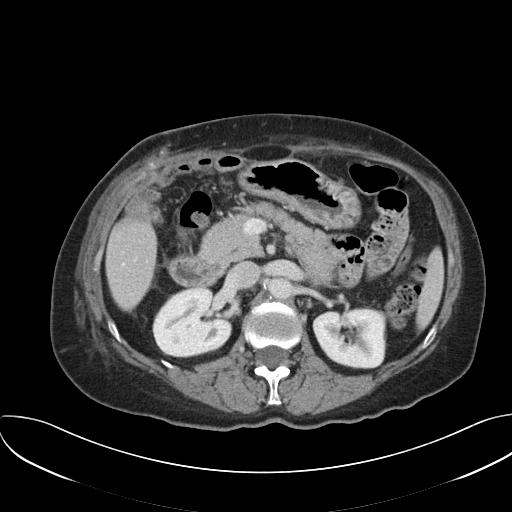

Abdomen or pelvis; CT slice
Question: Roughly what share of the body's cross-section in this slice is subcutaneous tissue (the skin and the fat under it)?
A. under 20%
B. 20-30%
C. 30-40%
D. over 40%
Answer: B. 20-30%
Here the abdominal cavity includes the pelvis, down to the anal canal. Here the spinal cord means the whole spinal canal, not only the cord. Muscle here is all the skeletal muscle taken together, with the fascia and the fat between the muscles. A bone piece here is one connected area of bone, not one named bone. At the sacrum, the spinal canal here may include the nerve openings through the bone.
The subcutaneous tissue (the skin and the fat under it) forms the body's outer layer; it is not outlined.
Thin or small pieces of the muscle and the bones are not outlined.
Outlined structures:
spinal cord: 267 346; 276 346; 277 347; 279 347; 282 349; 287 350; 287 358; 285 361; 285 363; 280 364; 273 369; 270 369; 264 364; 260 364; 258 362; 258 360; 256 358; 257 357; 257 351; 259 349; 264 348
abdominal cavity: 266 146; 383 162; 404 171; 427 193; 445 241; 447 280; 434 322; 410 352; 373 371; 336 371; 314 350; 305 318; 283 302; 268 300; 250 309; 226 354; 190 368; 145 355; 122 337; 104 301; 100 263; 110 228; 129 199; 182 162
bones 1: 265 301; 283 303; 304 318; 300 340; 288 352; 287 362; 290 372; 287 376; 281 378; 277 385; 277 393; 281 401; 278 405; 270 405; 267 403; 269 398; 268 382; 264 377; 257 375; 254 372; 254 352; 244 337; 243 328; 251 309 with a hole at 267 346; 276 346; 277 347; 279 347; 282 349; 287 350; 287 358; 285 361; 285 363; 280 364; 273 369; 270 369; 264 364; 260 364; 258 362; 258 360; 256 358; 257 357; 257 351; 259 349; 264 348
bones 2: 433 324; 435 324; 436 325; 436 334; 435 335; 434 338; 432 340; 432 341; 425 348; 424 348; 423 349; 420 349; 419 348; 419 347; 420 346; 421 343; 423 341; 424 338; 428 333; 429 330; 431 328; 431 327; 433 325
bones 3: 110 318; 114 322; 114 323; 117 328; 117 330; 120 335; 120 337; 122 339; 123 342; 119 342; 115 338; 115 337; 110 332; 110 331; 108 328; 108 325; 107 324; 107 321; 108 320; 108 319; 109 319
muscle: 272 141; 316 143; 352 147; 386 155; 405 163; 435 180; 443 188; 452 204; 459 229; 462 256; 461 287; 450 319; 434 350; 420 362; 383 382; 371 393; 336 409; 313 416; 296 416; 288 414; 286 411; 280 408; 274 408; 270 406; 252 413; 224 412; 184 396; 163 381; 143 372; 119 357; 93 322; 82 281; 85 245; 96 214; 113 188; 128 173; 167 154; 201 148; 237 148; 255 143 with a hole at 266 146; 292 153; 354 155; 399 168; 429 196; 445 245; 454 255; 433 323; 436 334; 425 348; 419 344; 373 371; 346 374; 316 353; 304 322; 299 342; 288 352; 290 372; 277 385; 278 405; 267 403; 269 385; 254 372; 255 356; 243 328; 226 354; 190 368; 168 368; 123 337; 119 342; 108 328; 111 316; 100 268; 93 270; 98 248; 104 247; 110 228; 135 193; 193 158; 242 154
torso: 268 112; 325 115; 374 126; 413 146; 451 181; 472 218; 485 266; 485 305; 471 366; 451 385; 408 408; 312 429; 275 422; 212 431; 176 426; 92 400; 60 368; 49 335; 54 266; 79 207; 115 162; 143 138; 215 118